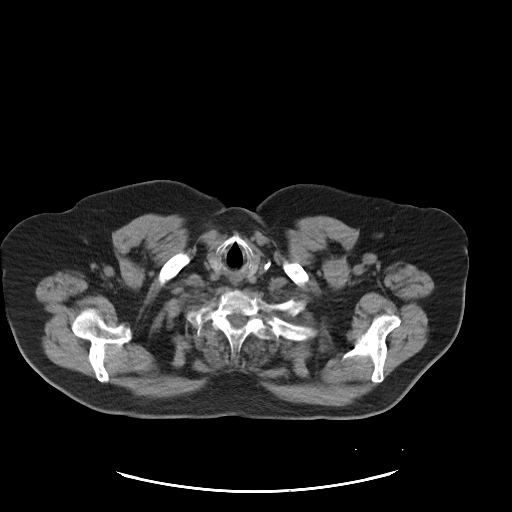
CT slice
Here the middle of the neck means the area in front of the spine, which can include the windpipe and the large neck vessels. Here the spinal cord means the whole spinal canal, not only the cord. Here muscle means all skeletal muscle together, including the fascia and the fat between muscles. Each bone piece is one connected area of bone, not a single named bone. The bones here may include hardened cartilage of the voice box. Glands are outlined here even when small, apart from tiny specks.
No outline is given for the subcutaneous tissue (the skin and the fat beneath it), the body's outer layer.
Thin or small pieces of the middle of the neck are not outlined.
{"spinal_cord":[[[231,314],[241,314],[242,315],[245,316],[247,318],[246,319],[246,321],[245,322],[245,323],[241,327],[239,327],[238,328],[236,328],[235,327],[232,326],[231,323],[229,321],[229,320],[227,317],[228,316],[228,315],[230,315]]],"bones":[{"outer":[[236,288],[268,303],[281,303],[291,298],[304,301],[304,308],[296,315],[279,315],[290,323],[313,327],[317,334],[296,341],[282,336],[262,339],[250,333],[239,352],[232,356],[228,339],[221,330],[214,329],[208,321],[197,335],[196,326],[185,314]],"hole":[[231,314],[241,314],[242,315],[245,316],[247,318],[246,319],[246,321],[245,322],[245,323],[241,327],[239,327],[238,328],[236,328],[235,327],[232,326],[231,323],[229,321],[229,320],[227,317],[228,316],[228,315],[230,315]]},[[90,307],[98,311],[107,325],[114,327],[124,323],[129,326],[132,332],[130,341],[126,342],[122,347],[115,344],[105,346],[103,364],[109,377],[107,382],[100,382],[95,376],[88,358],[90,342],[76,336],[71,328],[76,316],[83,309]],[[388,312],[398,316],[400,318],[400,324],[394,328],[385,338],[387,352],[383,366],[384,379],[381,382],[376,383],[371,380],[374,364],[368,355],[366,356],[355,355],[344,360],[342,360],[341,358],[344,353],[353,347],[357,338],[367,330],[375,316]],[[180,252],[184,252],[188,254],[190,258],[190,261],[186,265],[185,265],[177,273],[177,274],[174,277],[168,280],[163,285],[160,285],[158,281],[158,274],[159,273],[159,271],[160,269],[162,267],[162,266],[172,256]],[[285,260],[286,260],[288,262],[297,262],[305,270],[305,271],[307,273],[307,274],[308,275],[308,277],[309,278],[309,279],[308,280],[308,281],[303,286],[299,286],[298,285],[297,285],[286,274],[286,273],[282,268],[282,264],[283,263],[283,262]],[[235,233],[237,233],[249,245],[254,253],[253,265],[251,269],[250,269],[248,264],[249,263],[248,254],[246,252],[245,248],[236,239],[234,239],[231,243],[229,243],[219,255],[220,267],[219,267],[216,261],[215,257],[215,250],[216,248],[222,242]]],"torso":[[[151,179],[178,180],[250,210],[279,188],[317,183],[446,211],[461,224],[469,239],[465,306],[455,339],[395,405],[364,418],[258,419],[228,415],[150,419],[103,413],[77,402],[29,365],[9,323],[22,317],[44,289],[56,245],[58,212],[94,192]]],"middle_of_the_neck":[[[234,240],[244,248],[247,254],[250,276],[256,272],[259,263],[253,250],[270,261],[267,271],[258,282],[234,288],[223,281],[210,280],[204,273],[202,266],[207,254],[214,250],[214,255],[210,253],[207,261],[210,267],[217,272],[221,267],[220,255]]],"right_arm":[[[47,211],[57,212],[57,232],[56,233],[54,250],[43,289],[37,300],[22,316],[16,320],[8,322],[6,315],[5,304],[4,303],[3,287],[2,286],[1,271],[0,270],[0,243],[8,231],[19,221],[33,214],[41,212],[46,212]]],"muscle":[{"outer":[[150,212],[185,217],[192,237],[209,224],[244,226],[281,244],[298,218],[337,218],[359,229],[358,256],[431,276],[428,340],[385,378],[386,338],[401,318],[375,315],[340,359],[368,356],[378,384],[343,406],[286,401],[240,373],[177,397],[135,396],[107,383],[104,364],[106,346],[122,348],[132,329],[90,306],[70,328],[89,342],[96,379],[60,367],[41,346],[38,282],[61,268],[97,287],[116,261],[112,231]],"holes":[[[235,233],[270,261],[258,282],[239,289],[268,303],[291,298],[304,301],[296,315],[279,315],[290,323],[315,328],[314,337],[262,339],[250,333],[232,356],[225,334],[210,321],[197,335],[196,326],[185,314],[234,288],[210,280],[202,267],[204,259]],[[180,252],[184,252],[188,254],[190,258],[190,261],[186,265],[185,265],[177,273],[177,274],[174,277],[168,280],[163,285],[160,285],[158,281],[158,274],[159,273],[159,271],[160,269],[162,267],[162,266],[172,256]],[[285,260],[286,260],[288,262],[297,262],[305,270],[305,271],[307,273],[307,274],[308,275],[308,277],[309,278],[309,279],[308,280],[308,281],[303,286],[299,286],[298,285],[297,285],[286,274],[286,273],[282,268],[282,264],[283,263],[283,262]]]}],"thyroid_glands":[[[210,254],[212,254],[214,256],[214,257],[215,258],[215,261],[216,262],[216,263],[217,264],[217,265],[219,268],[219,269],[217,271],[216,271],[215,270],[214,270],[211,267],[211,266],[210,265],[210,264],[208,261],[208,256]],[[255,258],[257,258],[258,259],[258,263],[257,264],[257,267],[256,268],[256,270],[255,271],[255,272],[253,274],[252,274],[251,275],[250,275],[249,274],[249,273],[250,272],[250,270],[251,270],[252,269],[252,268],[254,265],[254,262],[255,261]]]}